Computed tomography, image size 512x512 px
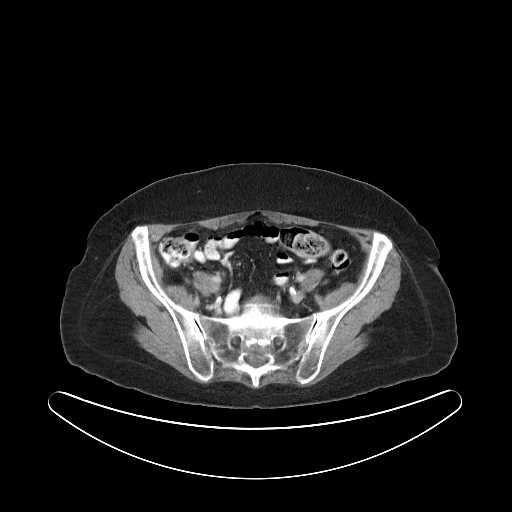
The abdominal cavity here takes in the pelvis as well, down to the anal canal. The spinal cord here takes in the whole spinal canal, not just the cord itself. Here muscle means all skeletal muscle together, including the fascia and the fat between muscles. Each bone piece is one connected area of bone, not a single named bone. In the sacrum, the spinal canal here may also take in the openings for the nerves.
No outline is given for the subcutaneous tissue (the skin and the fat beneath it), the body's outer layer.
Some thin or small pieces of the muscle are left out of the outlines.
{"abdominal_cavity":[{"outer":[[254,213],[277,223],[348,232],[365,254],[356,280],[315,293],[317,311],[304,316],[285,316],[267,301],[246,302],[229,317],[202,314],[199,293],[212,291],[212,276],[195,270],[189,281],[193,293],[183,284],[166,283],[154,243],[178,228],[215,229]],"hole":[[310,269],[319,269],[323,271],[323,275],[322,276],[322,278],[321,280],[319,281],[318,283],[315,286],[314,288],[315,289],[311,291],[306,291],[304,290],[302,287],[302,281],[303,280],[303,278],[304,278],[306,276],[308,271]]}],"torso":[[[242,162],[329,170],[372,184],[401,203],[426,228],[439,251],[439,270],[453,300],[457,325],[457,347],[449,364],[436,374],[349,398],[271,409],[175,402],[116,385],[70,364],[60,339],[60,309],[68,274],[81,260],[87,235],[98,218],[159,179]]],"muscle":[[[129,233],[140,277],[169,313],[187,367],[203,383],[214,376],[216,362],[223,368],[246,374],[250,378],[254,388],[257,388],[259,386],[262,376],[286,370],[296,363],[294,377],[305,385],[319,374],[326,349],[341,319],[374,286],[394,248],[393,243],[401,267],[400,285],[391,307],[370,324],[372,330],[367,346],[317,383],[309,386],[272,383],[261,388],[251,388],[233,381],[202,384],[140,347],[132,335],[136,318],[120,300],[114,277],[118,251]],[[256,208],[331,221],[352,227],[378,230],[374,230],[372,233],[365,269],[360,282],[352,293],[336,305],[322,310],[318,310],[315,294],[324,296],[342,283],[353,283],[357,280],[358,273],[362,267],[366,254],[362,249],[359,240],[355,236],[344,229],[326,224],[309,225],[295,222],[277,222],[260,212],[254,212],[242,221],[235,221],[215,228],[197,224],[178,227],[165,232],[153,243],[155,245],[155,253],[162,268],[163,280],[166,284],[183,285],[193,294],[195,289],[190,282],[193,273],[201,270],[207,272],[211,276],[211,291],[207,294],[198,293],[197,301],[200,313],[190,310],[175,302],[157,280],[150,253],[149,229],[146,224],[140,224],[176,223],[201,220]],[[310,269],[319,269],[323,271],[323,275],[322,276],[322,278],[321,280],[319,281],[318,283],[315,286],[314,288],[315,289],[311,291],[306,291],[304,290],[302,287],[302,281],[303,280],[303,278],[304,278],[306,276],[308,271]]],"spinal_cord":[[[247,358],[248,358],[249,359],[251,359],[252,358],[258,358],[259,359],[261,359],[262,360],[265,360],[265,361],[261,365],[260,365],[259,366],[257,366],[256,367],[255,367],[254,366],[253,366],[252,365],[251,365],[248,362],[248,361],[247,360]],[[236,336],[238,336],[239,337],[240,337],[240,338],[241,339],[241,343],[240,344],[240,345],[239,345],[238,346],[235,346],[234,345],[233,345],[233,344],[232,343],[232,340],[233,339],[233,338],[234,337],[235,337]],[[277,337],[279,337],[280,338],[281,338],[281,339],[282,340],[282,344],[281,345],[281,346],[280,346],[279,347],[277,347],[276,346],[275,346],[275,345],[274,344],[274,340],[275,339],[275,338],[276,338]]],"bones":[{"outer":[[137,225],[147,226],[166,294],[221,318],[246,303],[270,303],[288,318],[334,307],[361,282],[374,231],[393,248],[371,289],[338,322],[318,374],[301,384],[294,362],[254,387],[246,373],[217,361],[206,382],[189,369],[170,313],[141,277],[130,235]],"holes":[[[247,358],[248,358],[249,359],[251,359],[252,358],[258,358],[259,359],[261,359],[262,360],[265,360],[265,361],[261,365],[260,365],[259,366],[257,366],[256,367],[255,367],[254,366],[253,366],[252,365],[251,365],[248,362],[248,361],[247,360]],[[236,336],[238,336],[239,337],[240,337],[240,338],[241,339],[241,343],[240,344],[240,345],[239,345],[238,346],[235,346],[234,345],[233,345],[233,344],[232,343],[232,340],[233,339],[233,338],[234,337],[235,337]],[[277,337],[279,337],[280,338],[281,338],[281,339],[282,340],[282,344],[281,345],[281,346],[280,346],[279,347],[277,347],[276,346],[275,346],[275,345],[274,344],[274,340],[275,339],[275,338],[276,338]]]}]}